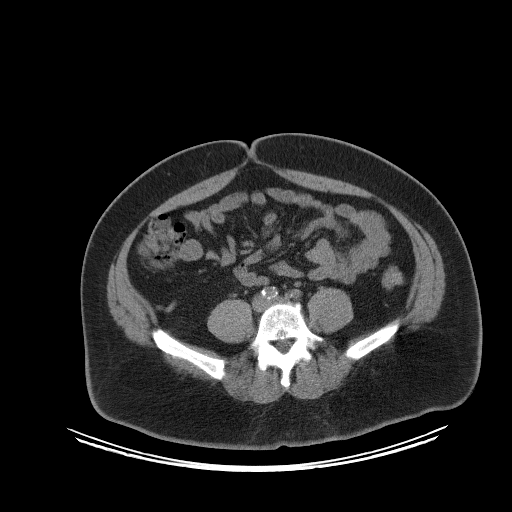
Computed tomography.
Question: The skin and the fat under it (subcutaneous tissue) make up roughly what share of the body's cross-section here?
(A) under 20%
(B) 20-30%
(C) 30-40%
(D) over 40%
Answer: (D) over 40%
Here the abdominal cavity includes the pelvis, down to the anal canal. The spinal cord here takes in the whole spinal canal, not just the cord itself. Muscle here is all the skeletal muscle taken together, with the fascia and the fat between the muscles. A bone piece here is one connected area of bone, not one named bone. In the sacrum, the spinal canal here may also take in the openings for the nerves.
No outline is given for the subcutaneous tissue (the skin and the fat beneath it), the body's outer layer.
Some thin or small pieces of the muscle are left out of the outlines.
The muscle appears in 2 outlined pieces: piece 1: 249,157 253,157 257,160 263,161 281,168 288,168 294,170 305,171 313,174 317,174 345,181 361,187 379,196 402,211 410,219 417,222 423,227 433,238 437,245 438,250 441,254 442,261 444,265 444,271 445,272 445,292 440,306 440,309 436,317 430,322 423,323 417,330 409,331 407,333 399,335 390,344 377,351 373,352 369,356 366,357 359,364 348,380 340,388 329,396 319,397 314,399 300,399 286,392 277,400 262,404 250,403 249,402 237,400 230,396 226,392 220,383 215,383 214,384 209,380 202,380 194,378 189,374 183,375 180,373 175,372 171,367 164,362 161,356 154,351 153,349 142,347 129,340 125,336 123,330 117,325 110,314 109,308 107,304 107,296 106,295 107,277 108,276 108,270 110,264 114,256 120,249 123,241 144,216 173,195 206,178 233,168 245,161, around a hole outlined by 250,163 377,202 415,262 392,338 353,360 345,350 378,327 343,343 325,337 288,388 248,348 257,330 245,300 224,299 206,318 237,351 177,339 225,360 218,380 156,346 158,318 128,273 149,218 217,193; piece 2: 321,287 326,287 327,288 332,287 343,290 349,296 353,310 353,317 347,324 344,325 341,328 328,334 325,334 324,333 317,334 315,333 310,329 308,326 308,322 307,321 307,318 308,317 307,304 312,295. The bones appear in 3 outlined pieces: piece 1: 288,301 300,303 309,329 325,340 317,342 315,348 309,350 309,361 301,359 293,366 289,375 289,387 285,388 280,383 281,370 274,366 261,370 257,366 257,356 248,345 257,332 259,319 264,310 274,303; inner edge: 286,339 291,339 292,340 292,342 291,343 291,344 290,345 288,350 286,352 284,352 283,353 282,352 281,352 276,347 276,346 275,345 275,342 276,342 277,341 279,341 280,340 281,341 282,340 285,340; piece 2: 158,327 162,328 171,336 191,349 215,358 220,358 225,360 225,365 224,366 225,375 224,377 221,380 215,379 202,369 197,367 192,363 184,359 178,357 174,357 170,354 159,349 156,346 151,334 152,330; piece 3: 396,317 398,317 400,319 400,326 395,335 388,341 373,349 370,352 364,355 357,360 353,360 352,359 350,359 344,354 345,350 350,345 356,341 360,339 362,339 371,333 374,332 377,329. The torso is outlined by 282,132 323,135 363,147 412,175 447,210 467,248 480,302 481,364 471,393 454,408 430,411 362,435 272,450 175,443 105,419 92,406 86,388 80,309 82,262 98,219 130,182 173,153 213,140 249,142. The abdominal cavity is outlined by 250,163 386,208 407,233 415,262 403,311 337,343 320,335 354,317 341,288 311,295 307,324 300,302 277,301 257,329 250,305 227,298 206,327 243,344 231,354 163,328 130,280 136,235 149,218 217,193. The spinal cord is outlined by 286,339 291,339 292,340 292,342 291,343 291,344 290,345 288,350 286,352 284,352 283,353 282,352 281,352 276,347 276,346 275,345 275,342 276,342 277,341 279,341 280,340 281,341 282,340 285,340.